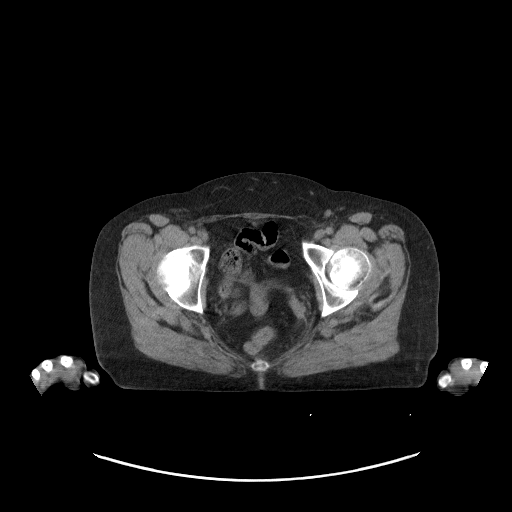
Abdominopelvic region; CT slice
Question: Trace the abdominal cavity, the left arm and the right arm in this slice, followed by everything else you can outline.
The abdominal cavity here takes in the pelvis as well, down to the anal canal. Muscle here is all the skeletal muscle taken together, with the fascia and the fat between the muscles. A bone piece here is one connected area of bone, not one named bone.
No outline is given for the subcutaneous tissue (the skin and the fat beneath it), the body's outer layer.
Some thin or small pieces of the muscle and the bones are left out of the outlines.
Answer: The abdominal cavity is outlined by 236 217; 288 219; 308 229; 301 236; 300 246; 302 257; 311 271; 309 281; 313 285; 317 306; 302 337; 271 359; 261 355; 253 357; 231 348; 219 336; 204 312; 207 308; 208 285; 205 275; 210 257; 209 232; 206 229; 206 223. The left arm is outlined by 456 356; 462 356; 465 358; 477 357; 481 359; 482 362; 486 361; 488 363; 479 381; 473 387; 471 387; 466 393; 459 396; 455 396; 446 391; 440 391; 437 388; 437 376; 439 372; 447 366; 447 364; 452 358. The right arm is outlined by 58 354; 63 354; 65 356; 77 355; 83 358; 89 368; 94 368; 97 371; 99 383; 94 387; 87 387; 82 377; 81 389; 79 390; 68 389; 59 383; 52 385; 41 394; 33 383; 34 377; 31 375; 31 372; 43 361; 49 360. The muscle appears in 3 outlined pieces: piece 1: 359 211; 396 221; 404 232; 409 254; 408 285; 397 330; 399 351; 392 357; 297 377; 273 371; 262 375; 248 371; 234 377; 158 361; 135 347; 115 266; 121 231; 140 216; 160 213; 192 220; 214 214; 262 212; 305 215; 321 222; inner edges: 236 217; 296 221; 308 229; 303 240; 334 250; 356 247; 371 263; 357 295; 324 317; 321 289; 311 272; 309 281; 317 306; 309 324; 296 343; 271 359; 231 348; 204 312; 181 307; 156 278; 164 254; 183 246; 207 245; 206 223, then 257 359; 262 359; 263 360; 264 360; 265 361; 267 361; 269 363; 269 364; 270 365; 270 366; 269 367; 269 368; 268 368; 265 371; 254 371; 250 367; 250 365; 254 361; 255 361; piece 2: 57 359; 59 359; 59 363; 65 368; 70 368; 73 365; 74 360; 80 361; 83 371; 81 378; 76 381; 65 381; 58 378; 39 389; 33 383; 34 379; 37 382; 40 380; 39 369; 41 368; 47 373; 51 372; 53 369; 53 361; piece 3: 456 361; 460 361; 461 367; 466 371; 472 366; 473 362; 479 362; 478 368; 482 373; 482 376; 480 378; 479 381; 478 382; 472 381; 466 384; 460 384; 459 385; 448 386; 453 381; 452 376; 450 373; 450 368; 452 364. The torso is outlined by 249 171; 296 174; 332 189; 349 190; 394 201; 409 208; 422 220; 434 241; 440 275; 438 347; 423 385; 416 388; 307 392; 136 390; 116 385; 99 365; 92 337; 88 287; 92 253; 103 225; 119 212; 144 199; 181 192; 217 177. The bones appear in 8 outlined pieces: piece 1: 303 240; 316 243; 328 248; 332 248; 334 250; 346 246; 356 247; 366 253; 371 263; 371 270; 369 275; 361 284; 357 295; 344 307; 324 317; 321 317; 321 309; 323 304; 321 289; 317 279; 303 257; 302 247; 301 246; 301 242; piece 2: 195 244; 209 246; 209 257; 206 264; 205 274; 202 280; 200 289; 201 296; 200 304; 204 310; 202 314; 185 309; 173 301; 167 292; 164 290; 163 286; 157 281; 156 278; 156 268; 158 262; 164 254; 179 247; 189 246; piece 3: 257 359; 262 359; 263 360; 264 360; 265 361; 267 361; 269 363; 269 364; 270 365; 270 366; 269 367; 269 368; 268 368; 265 371; 254 371; 250 367; 250 365; 254 361; 255 361; piece 4: 85 371; 88 371; 89 372; 91 372; 92 373; 94 373; 96 375; 97 375; 97 376; 98 377; 98 380; 96 382; 95 382; 94 383; 90 383; 89 382; 87 382; 86 381; 84 381; 84 380; 82 377; 82 375; 83 374; 83 373; piece 5: 446 373; 449 373; 450 374; 450 375; 451 376; 451 378; 452 379; 452 381; 447 386; 446 386; 445 387; 442 387; 439 384; 439 382; 438 381; 439 380; 439 379; 444 374; 445 374; piece 6: 64 355; 65 356; 70 356; 73 359; 73 363; 72 364; 72 365; 70 367; 65 367; 64 366; 63 366; 60 363; 60 362; 59 361; 59 360; 60 359; 60 358; 62 356; 63 356; piece 7: 45 360; 50 360; 52 362; 52 369; 51 370; 51 371; 50 371; 49 372; 47 372; 43 368; 42 368; 41 367; 40 367; 40 364; 43 361; 44 361; piece 8: 464 358; 469 358; 471 360; 471 361; 472 362; 472 363; 471 364; 471 366; 467 370; 466 370; 465 369; 464 369; 462 367; 462 366; 461 365; 461 360; 462 359; 463 359.